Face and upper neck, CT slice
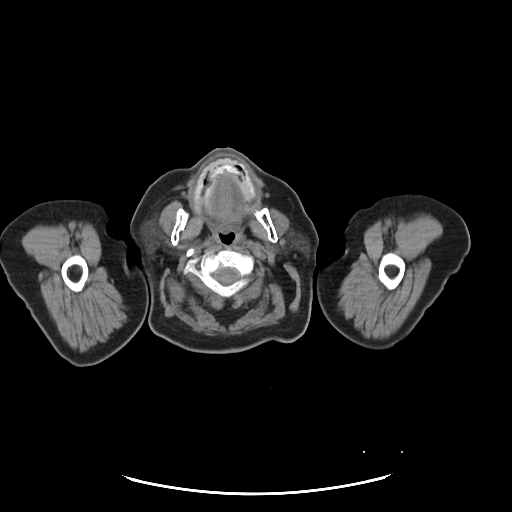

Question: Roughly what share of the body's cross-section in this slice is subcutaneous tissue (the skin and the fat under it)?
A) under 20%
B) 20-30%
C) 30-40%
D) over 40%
Answer: C) 30-40%
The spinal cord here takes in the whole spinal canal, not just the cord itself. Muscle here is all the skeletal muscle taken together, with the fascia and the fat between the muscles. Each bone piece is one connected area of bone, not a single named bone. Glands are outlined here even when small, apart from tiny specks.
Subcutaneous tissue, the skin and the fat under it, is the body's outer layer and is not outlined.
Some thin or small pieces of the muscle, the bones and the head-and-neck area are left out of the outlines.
The head and neck is outlined by [[223,147],[243,153],[260,168],[285,181],[297,193],[319,242],[312,277],[311,313],[299,338],[289,343],[273,341],[238,353],[204,354],[184,350],[163,339],[157,340],[150,329],[148,281],[129,225],[144,192],[160,175],[172,168],[192,166],[209,151]], around a hole outlined by [[231,233],[232,233],[233,234],[233,238],[231,240],[231,241],[230,241],[229,242],[228,242],[227,243],[226,243],[225,242],[224,242],[223,241],[222,241],[222,240],[220,238],[220,234],[222,234],[223,235],[227,235],[228,234],[230,234]]. The bones appear in 6 outlined pieces: piece 1: [[226,248],[244,254],[249,254],[254,259],[254,269],[249,276],[248,283],[232,296],[230,297],[221,296],[209,288],[192,272],[189,271],[186,273],[183,272],[187,262],[190,259],[193,259],[196,257],[200,257],[207,251],[212,251],[215,253],[222,249]] with a hole at [[226,267],[229,267],[230,268],[234,268],[236,269],[238,271],[239,273],[239,276],[240,277],[239,279],[238,279],[236,281],[233,282],[229,285],[223,285],[221,283],[220,283],[213,276],[213,274],[216,271],[216,270],[217,270],[219,268],[225,268]]; piece 2: [[221,158],[229,158],[236,160],[244,165],[249,179],[254,188],[255,194],[251,199],[246,198],[242,193],[239,181],[236,176],[231,172],[224,171],[218,174],[213,180],[212,193],[208,203],[206,205],[197,207],[194,201],[194,191],[198,178],[207,165]]; piece 3: [[73,254],[79,254],[81,256],[82,256],[86,261],[86,263],[88,267],[88,275],[87,276],[87,279],[84,284],[84,286],[83,288],[78,292],[75,292],[71,290],[65,284],[62,278],[62,276],[61,275],[61,266],[63,262],[68,257],[69,257]]; piece 4: [[390,251],[400,256],[403,259],[405,263],[405,269],[403,273],[403,276],[400,282],[395,288],[393,289],[391,289],[390,290],[388,289],[379,280],[378,278],[378,267],[379,266],[379,263],[380,262],[381,257],[385,253],[387,252],[389,252]]; piece 5: [[263,207],[266,207],[268,209],[268,211],[269,212],[269,215],[270,216],[271,221],[274,226],[274,228],[275,229],[275,231],[277,235],[277,241],[276,242],[272,242],[269,240],[268,238],[268,233],[266,229],[254,215],[254,211],[255,210],[259,210]]; piece 6: [[180,207],[183,208],[187,212],[188,212],[189,216],[187,219],[187,221],[183,229],[181,230],[179,233],[179,239],[178,240],[178,242],[177,244],[174,246],[172,245],[171,243],[170,237],[171,236],[171,232],[175,222],[176,211],[178,208]]. The parotid glands appear in 2 outlined pieces: piece 1: [[289,228],[296,228],[297,229],[299,229],[307,236],[310,242],[310,254],[309,255],[309,258],[308,259],[303,260],[299,258],[292,257],[291,256],[289,256],[285,254],[281,251],[280,249],[280,247],[279,246],[279,244],[280,243],[280,240]]; piece 2: [[153,216],[155,219],[159,233],[163,241],[165,242],[166,244],[166,247],[165,249],[158,257],[153,260],[152,259],[150,259],[148,257],[144,249],[144,246],[142,243],[142,240],[140,235],[140,226],[142,222],[143,222],[144,220],[148,218],[150,218]]. The spinal cord is outlined by [[226,267],[229,267],[230,268],[234,268],[236,269],[238,271],[239,273],[239,276],[240,277],[239,279],[238,279],[236,281],[233,282],[229,285],[223,285],[221,283],[220,283],[213,276],[213,274],[216,271],[216,270],[217,270],[219,268],[225,268]]. The muscle appears in 3 outlined pieces: piece 1: [[218,153],[232,153],[244,160],[268,185],[289,203],[302,230],[296,227],[289,227],[279,240],[278,246],[282,253],[292,258],[303,261],[306,260],[306,263],[300,284],[300,296],[297,309],[288,320],[276,328],[244,335],[209,337],[174,324],[165,317],[163,313],[158,290],[157,275],[152,260],[155,260],[161,255],[166,249],[167,244],[160,233],[154,216],[147,216],[154,202],[159,197],[176,184],[189,178],[206,160]], around holes outlined by [[226,248],[244,254],[249,254],[254,259],[254,269],[249,276],[248,283],[232,296],[230,297],[221,296],[209,288],[192,272],[189,271],[186,273],[183,272],[187,262],[190,259],[193,259],[196,257],[200,257],[207,251],[212,251],[215,253],[222,249]] and by [[221,158],[229,158],[236,160],[244,165],[249,179],[254,188],[255,194],[251,199],[246,198],[242,193],[239,181],[236,176],[231,172],[224,171],[218,174],[213,180],[212,193],[208,203],[206,205],[197,207],[194,201],[194,191],[198,178],[207,165]] and by [[263,207],[266,207],[268,209],[268,211],[269,212],[269,215],[270,216],[271,221],[274,226],[274,228],[275,229],[275,231],[277,235],[277,241],[276,242],[272,242],[269,240],[268,238],[268,233],[266,229],[254,215],[254,211],[255,210],[259,210]] and by [[180,207],[183,208],[187,212],[188,212],[189,216],[187,219],[187,221],[183,229],[181,230],[179,233],[179,239],[178,240],[178,242],[177,244],[174,246],[172,245],[171,243],[170,237],[171,236],[171,232],[175,222],[176,211],[178,208]] and by [[231,233],[232,233],[233,234],[233,238],[231,240],[231,241],[230,241],[229,242],[228,242],[227,243],[226,243],[225,242],[224,242],[223,241],[222,241],[222,240],[220,238],[220,234],[222,234],[223,235],[227,235],[228,234],[230,234]] and by [[190,248],[191,248],[192,248],[193,249],[194,250],[193,251],[193,252],[193,253],[192,254],[191,255],[190,256],[189,256],[188,256],[187,256],[187,255],[187,254],[187,253],[187,252],[187,251],[188,250],[189,249]]; piece 2: [[64,218],[89,219],[94,224],[101,243],[102,257],[125,299],[129,311],[127,321],[109,340],[82,353],[78,353],[71,349],[59,335],[40,295],[36,282],[37,270],[35,265],[32,259],[25,253],[21,244],[21,238],[23,234],[33,226],[42,222]], around a hole outlined by [[73,254],[79,254],[81,256],[82,256],[86,261],[86,263],[88,267],[88,275],[87,276],[87,279],[84,284],[84,286],[83,288],[78,292],[75,292],[71,290],[65,284],[62,278],[62,276],[61,275],[61,266],[63,262],[68,257],[69,257]]; piece 3: [[407,212],[429,213],[437,218],[443,226],[443,234],[441,237],[435,240],[430,245],[430,258],[432,261],[432,269],[421,297],[397,332],[385,339],[366,338],[348,325],[337,310],[336,291],[342,279],[348,272],[350,265],[357,257],[363,230],[382,215]], around a hole outlined by [[390,251],[400,256],[403,259],[405,263],[405,269],[403,273],[403,276],[400,282],[395,288],[393,289],[391,289],[390,290],[388,289],[379,280],[378,278],[378,267],[379,266],[379,263],[380,262],[381,257],[385,253],[387,252],[389,252]]. The left arm is outlined by [[408,192],[432,196],[454,208],[466,223],[471,242],[470,249],[460,269],[447,280],[442,292],[402,341],[384,350],[368,349],[344,337],[325,318],[317,300],[316,271],[326,260],[343,253],[345,249],[343,233],[348,220],[355,211],[371,205],[380,197]]. The right arm is outlined by [[53,199],[86,199],[103,205],[109,216],[107,233],[123,240],[127,248],[128,261],[140,264],[147,281],[149,305],[146,319],[140,328],[118,351],[90,366],[74,366],[58,355],[22,300],[8,284],[0,266],[0,234],[6,225],[29,207]].